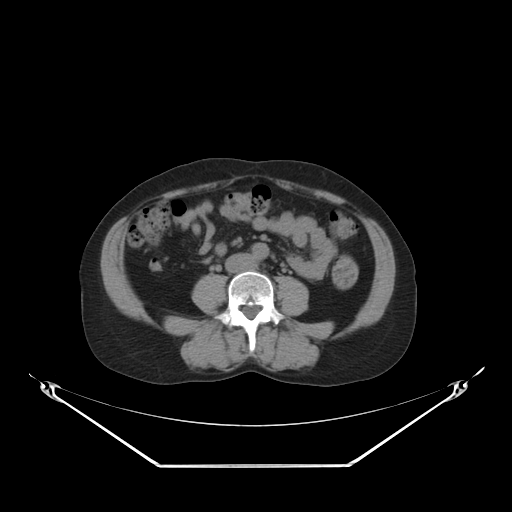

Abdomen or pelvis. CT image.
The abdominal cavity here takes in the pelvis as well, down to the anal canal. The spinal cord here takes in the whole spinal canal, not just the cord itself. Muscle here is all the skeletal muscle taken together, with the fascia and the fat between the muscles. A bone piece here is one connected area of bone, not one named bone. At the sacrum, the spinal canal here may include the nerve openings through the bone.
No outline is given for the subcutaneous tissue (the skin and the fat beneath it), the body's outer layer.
The muscle is outlined by (244, 174) (266, 174) (272, 177) (281, 178) (282, 179) (286, 179) (294, 182) (297, 182) (309, 187) (326, 190) (339, 196) (341, 196) (368, 213) (382, 227) (388, 236) (393, 248) (394, 257) (395, 258) (395, 265) (396, 266) (394, 289) (382, 317) (373, 325) (371, 325) (368, 327) (361, 328) (343, 338) (340, 338) (332, 341) (326, 341) (324, 346) (320, 351) (320, 355) (317, 362) (313, 367) (308, 370) (304, 370) (303, 371) (302, 370) (285, 369) (284, 370) (273, 372) (272, 371) (269, 371) (257, 364) (254, 359) (251, 357) (248, 358) (240, 366) (231, 371) (228, 371) (227, 372) (224, 372) (213, 368) (205, 369) (202, 372) (196, 372) (193, 370) (191, 370) (184, 362) (180, 355) (180, 352) (179, 351) (180, 344) (178, 342) (178, 338) (177, 337) (165, 333) (148, 324) (146, 324) (142, 321) (135, 320) (121, 313) (111, 301) (105, 290) (103, 284) (102, 275) (100, 270) (100, 256) (101, 255) (101, 249) (104, 238) (111, 226) (121, 217) (128, 214) (138, 203) (148, 197) (154, 196) (177, 188) (192, 186) (200, 183) (205, 183) (220, 179) (227, 179) (235, 175) (243, 175) with a hole at (256, 177) (358, 218) (374, 271) (365, 301) (336, 331) (331, 319) (297, 319) (309, 289) (276, 276) (274, 306) (284, 317) (258, 326) (251, 352) (241, 326) (214, 317) (227, 307) (225, 275) (207, 273) (193, 285) (202, 317) (159, 322) (132, 286) (124, 247) (148, 206). The spinal cord is outlined by (245, 305) (246, 305) (247, 306) (253, 306) (254, 305) (257, 305) (260, 307) (260, 309) (259, 310) (259, 311) (255, 315) (255, 316) (253, 318) (252, 318) (251, 319) (250, 319) (249, 318) (248, 318) (244, 314) (244, 313) (241, 310) (241, 307) (242, 306) (244, 306). The abdominal cavity is outlined by (256, 177) (335, 206) (365, 227) (374, 271) (352, 321) (335, 331) (331, 319) (297, 319) (309, 308) (308, 287) (283, 274) (275, 285) (256, 270) (235, 274) (227, 287) (225, 275) (204, 274) (190, 292) (202, 317) (156, 320) (126, 271) (124, 247) (134, 216) (171, 197). The torso is outlined by (207, 157) (295, 159) (320, 164) (352, 181) (385, 210) (410, 249) (417, 284) (414, 332) (396, 364) (375, 378) (334, 386) (286, 383) (255, 372) (211, 382) (152, 384) (116, 373) (96, 359) (83, 332) (78, 281) (81, 255) (90, 235) (111, 206) (133, 187) (169, 168). The bones are outlined by (244, 271) (256, 271) (266, 275) (271, 280) (274, 290) (274, 306) (284, 315) (276, 325) (270, 321) (261, 323) (258, 326) (255, 333) (255, 348) (252, 352) (249, 350) (247, 334) (241, 326) (228, 326) (214, 317) (223, 312) (227, 307) (227, 288) (230, 280) (235, 275); inner edge: (245, 305) (246, 305) (247, 306) (253, 306) (254, 305) (257, 305) (260, 307) (260, 309) (259, 310) (259, 311) (255, 315) (255, 316) (253, 318) (252, 318) (251, 319) (250, 319) (249, 318) (248, 318) (244, 314) (244, 313) (241, 310) (241, 307) (242, 306) (244, 306).